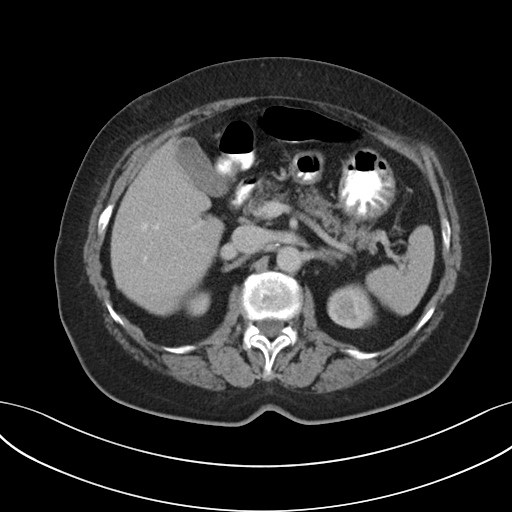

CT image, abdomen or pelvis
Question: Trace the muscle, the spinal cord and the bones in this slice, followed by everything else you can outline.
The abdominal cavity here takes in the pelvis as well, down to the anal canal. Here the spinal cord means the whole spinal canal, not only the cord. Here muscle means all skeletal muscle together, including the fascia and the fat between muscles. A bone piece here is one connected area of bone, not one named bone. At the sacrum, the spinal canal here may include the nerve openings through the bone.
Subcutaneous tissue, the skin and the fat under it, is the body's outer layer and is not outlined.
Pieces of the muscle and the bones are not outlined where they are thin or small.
Answer: {"muscle":[{"outer":[[260,95],[288,95],[330,102],[365,115],[400,135],[422,140],[428,143],[436,152],[452,189],[454,203],[457,210],[460,225],[459,235],[461,245],[461,264],[460,270],[457,273],[454,289],[449,295],[449,299],[445,307],[443,317],[430,335],[409,357],[380,374],[350,387],[319,394],[291,390],[284,387],[275,380],[256,380],[251,386],[246,388],[214,391],[180,382],[172,376],[161,373],[155,369],[150,369],[140,361],[134,359],[109,333],[104,323],[101,303],[94,291],[93,286],[89,282],[89,278],[86,273],[85,263],[83,261],[83,246],[88,234],[88,224],[92,209],[111,169],[132,141],[138,136],[151,130],[162,127],[183,113],[203,104],[220,99]],"holes":[[[263,99],[313,104],[357,123],[418,166],[433,192],[439,217],[449,222],[450,246],[448,250],[442,246],[443,273],[419,317],[433,304],[434,311],[417,331],[413,327],[376,356],[358,359],[341,350],[355,347],[333,338],[318,326],[314,298],[307,286],[301,289],[301,308],[291,320],[297,341],[276,354],[267,377],[263,377],[263,352],[254,346],[243,347],[248,319],[241,306],[241,285],[234,284],[231,288],[227,310],[219,325],[207,337],[193,343],[194,350],[185,353],[163,349],[125,317],[121,317],[125,325],[122,326],[108,311],[105,300],[109,301],[110,296],[100,259],[106,230],[101,234],[97,231],[101,212],[109,203],[116,204],[150,153],[166,139],[234,106]],[[421,148],[423,148],[424,151],[426,153],[427,156],[430,160],[430,162],[431,163],[431,170],[432,171],[432,175],[430,175],[430,174],[428,173],[427,171],[427,169],[425,165],[425,162],[422,156],[422,150]]]}],"spinal_cord":[[[267,318],[269,319],[277,319],[278,320],[281,320],[283,321],[284,323],[284,325],[280,330],[281,333],[279,335],[275,337],[270,338],[269,337],[267,337],[260,332],[260,330],[257,326],[256,324],[256,322],[257,321],[259,321],[260,320],[263,320]]],"bones":[{"outer":[[266,271],[276,271],[294,278],[301,288],[302,303],[299,312],[291,320],[292,327],[297,331],[296,343],[285,346],[276,354],[270,375],[263,377],[263,352],[254,346],[248,349],[243,347],[242,337],[248,319],[241,306],[241,295],[243,283],[249,275]],"hole":[[267,318],[269,319],[277,319],[278,320],[281,320],[283,321],[284,323],[284,325],[280,330],[281,333],[279,335],[275,337],[270,338],[269,337],[267,337],[260,332],[260,330],[257,326],[256,324],[256,322],[257,321],[259,321],[260,320],[263,320]]},[[109,203],[113,203],[114,204],[114,206],[112,210],[112,213],[110,216],[110,218],[108,221],[108,223],[103,233],[101,234],[99,234],[97,231],[97,225],[98,224],[98,219],[99,218],[99,216],[101,212]],[[441,217],[445,217],[446,218],[447,218],[447,219],[449,222],[449,225],[450,226],[450,246],[449,247],[449,249],[448,250],[445,249],[445,248],[444,247],[444,245],[443,244],[443,240],[442,239],[442,233],[441,232],[441,226],[440,225],[440,218]],[[353,348],[356,348],[359,350],[361,350],[362,351],[365,351],[366,352],[374,352],[375,351],[378,351],[379,353],[378,355],[376,356],[374,356],[373,357],[370,357],[369,358],[365,358],[364,359],[358,359],[343,352],[341,350],[342,349],[352,349]],[[181,345],[194,345],[196,347],[194,350],[192,350],[191,351],[189,351],[185,353],[174,353],[173,352],[170,352],[169,351],[167,351],[163,349],[162,347],[163,346],[169,346],[171,347],[172,346],[180,346]],[[433,304],[435,308],[431,316],[429,318],[429,319],[417,331],[415,332],[414,331],[414,328],[415,326],[418,323],[418,322],[420,320],[422,316],[428,310],[430,306]],[[105,300],[108,300],[110,302],[111,305],[113,307],[113,308],[115,310],[115,311],[121,317],[121,318],[123,320],[125,326],[122,326],[120,324],[119,324],[117,322],[116,322],[113,319],[113,318],[110,315],[110,314],[108,311],[108,309],[105,304]]],"abdominal_cavity":[[[263,99],[305,102],[355,122],[425,175],[439,214],[443,273],[417,323],[391,345],[366,351],[333,338],[318,326],[310,289],[276,270],[253,272],[242,287],[234,284],[222,321],[192,344],[150,341],[112,305],[100,255],[125,187],[166,139],[234,106]]],"torso":[[[261,56],[316,59],[375,77],[440,116],[468,154],[488,220],[491,272],[467,350],[438,387],[417,399],[321,424],[299,423],[275,411],[239,426],[194,423],[109,398],[74,353],[58,313],[53,260],[65,202],[93,138],[116,112],[147,91],[206,65]]]}